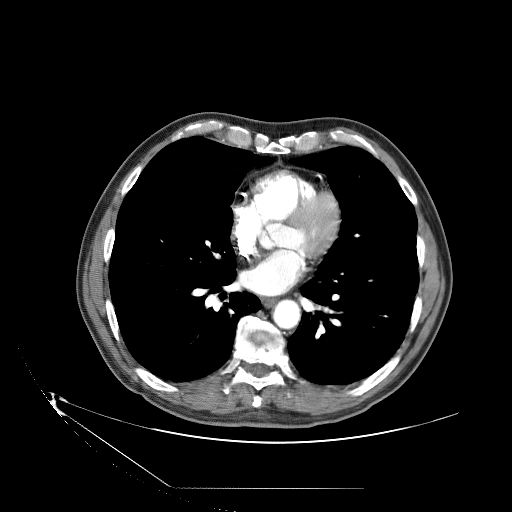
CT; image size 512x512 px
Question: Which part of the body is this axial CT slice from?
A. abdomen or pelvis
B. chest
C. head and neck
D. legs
Answer: B. chest
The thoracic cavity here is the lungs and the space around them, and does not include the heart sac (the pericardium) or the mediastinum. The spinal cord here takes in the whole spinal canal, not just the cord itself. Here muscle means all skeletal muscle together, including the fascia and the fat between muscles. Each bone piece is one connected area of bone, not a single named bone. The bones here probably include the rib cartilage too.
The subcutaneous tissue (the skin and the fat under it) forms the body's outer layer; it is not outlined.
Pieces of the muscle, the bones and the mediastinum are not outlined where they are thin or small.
Outlined structures:
spinal cord: [[256,363],[260,363],[261,364],[264,364],[268,366],[269,367],[269,371],[268,373],[260,377],[258,377],[257,376],[255,376],[253,375],[248,370],[248,367],[249,365],[251,364],[255,364]]
muscle 1: [[134,166],[120,189],[123,199],[115,225],[107,229],[103,240],[110,293],[104,307],[113,337],[118,343],[123,341],[140,365],[133,368],[134,372],[153,389],[178,392],[179,388],[169,382],[189,382],[218,370],[220,375],[233,373],[221,386],[226,395],[241,383],[256,391],[270,385],[285,386],[284,376],[301,384],[306,381],[323,386],[358,384],[345,392],[353,397],[377,385],[399,363],[402,355],[397,351],[406,333],[414,331],[423,307],[417,292],[426,244],[417,233],[415,191],[435,239],[445,279],[441,305],[426,340],[384,388],[357,405],[330,413],[312,415],[254,408],[214,414],[172,403],[145,389],[116,364],[86,310],[82,293],[84,264],[97,227],[116,188]]; inner edge: [[256,394],[257,394],[258,395],[259,395],[260,396],[260,397],[261,398],[261,404],[260,405],[260,406],[259,407],[253,407],[252,406],[252,405],[251,404],[251,403],[253,401],[253,397],[254,396],[254,395],[255,395]]
muscle 2: [[340,126],[352,129],[375,141],[393,158],[409,182],[400,174],[394,175],[379,159],[379,152],[375,147],[360,134],[347,132],[337,128],[330,130],[327,133],[327,137],[332,142],[341,144],[332,146],[330,146],[328,143],[323,144],[324,139],[319,131]]
muscle 3: [[184,125],[186,125],[184,126],[183,128],[177,130],[170,136],[170,138],[169,139],[171,142],[158,151],[157,153],[156,153],[155,155],[151,158],[145,166],[145,165],[142,163],[137,164],[140,161],[141,158],[154,145],[162,141],[174,131]]
thoracic cavity 1: [[199,135],[273,160],[254,166],[246,173],[230,205],[229,240],[236,259],[236,279],[244,290],[257,297],[261,306],[238,320],[231,355],[224,366],[200,378],[174,382],[145,368],[128,349],[111,299],[108,273],[116,221],[125,196],[158,152],[180,139]]
thoracic cavity 2: [[338,145],[364,149],[378,159],[394,176],[413,206],[417,222],[415,249],[418,287],[406,332],[395,353],[359,383],[323,385],[299,375],[290,363],[286,346],[302,322],[304,301],[301,287],[314,277],[337,239],[341,210],[324,174],[291,163],[290,160]]
mediastinum 1: [[300,286],[301,286],[299,291],[303,301],[303,313],[301,318],[301,322],[286,341],[282,332],[273,323],[266,319],[262,319],[255,315],[249,314],[256,312],[262,306],[260,300],[256,295],[262,297],[280,296],[290,292],[293,292],[299,288]]
mediastinum 2: [[250,149],[253,149],[257,153],[265,153],[273,155],[309,153],[291,158],[289,160],[290,163],[278,160],[270,165],[252,171],[244,178],[247,173],[254,167],[260,168],[266,166],[272,163],[274,160],[270,156],[255,155]]
pericardium: [[278,161],[321,174],[328,184],[338,203],[340,210],[340,223],[336,239],[310,279],[293,291],[280,295],[262,296],[250,291],[238,281],[237,259],[230,240],[233,224],[233,211],[231,206],[236,199],[236,191],[249,174],[256,170],[270,166]]
bones 1: [[246,315],[266,320],[281,332],[286,342],[285,351],[289,363],[305,382],[301,383],[284,375],[285,385],[270,384],[256,390],[252,385],[241,382],[235,384],[227,394],[222,391],[223,383],[227,382],[234,373],[220,374],[219,370],[231,358],[237,324]] with a hole at [[256,363],[260,363],[261,364],[264,364],[268,366],[269,367],[269,371],[268,373],[260,377],[258,377],[257,376],[255,376],[253,375],[248,370],[248,367],[249,365],[251,364],[255,364]]
bones 2: [[208,120],[216,120],[225,125],[238,125],[252,133],[262,133],[272,141],[313,130],[318,131],[323,139],[322,144],[315,150],[286,154],[257,152],[253,148],[237,147],[225,143],[226,139],[217,132],[192,135],[172,142],[171,136],[177,131],[189,124]]
bones 3: [[397,352],[400,353],[401,355],[401,357],[398,363],[382,380],[370,388],[367,391],[364,392],[360,395],[353,396],[352,395],[348,395],[346,394],[346,392],[348,390],[357,386],[362,381],[362,380],[365,379],[371,374],[378,370],[382,366],[383,366]]
bones 4: [[337,129],[340,129],[347,133],[357,134],[362,136],[374,147],[378,152],[378,156],[379,157],[378,158],[375,157],[370,152],[364,148],[358,146],[349,145],[348,144],[342,144],[338,142],[334,142],[332,141],[328,137],[328,133],[330,131],[333,131]]
bones 5: [[137,366],[142,366],[145,369],[149,371],[155,376],[177,387],[178,388],[178,391],[174,391],[173,392],[167,392],[166,391],[162,391],[161,390],[158,390],[157,389],[153,388],[147,383],[146,383],[142,379],[141,379],[135,372],[134,368]]
bones 6: [[107,298],[110,298],[114,308],[114,311],[115,312],[115,315],[116,316],[116,319],[117,320],[117,323],[119,328],[119,333],[122,338],[122,340],[120,342],[118,342],[114,337],[113,333],[111,330],[109,322],[108,321],[107,312],[105,307],[105,300]]
bones 7: [[417,294],[418,294],[421,297],[421,299],[422,300],[422,307],[421,308],[421,312],[420,313],[419,318],[417,321],[417,323],[413,331],[411,333],[408,333],[407,332],[407,330],[410,323],[410,317],[411,316],[411,313],[413,309],[414,300]]
bones 8: [[111,227],[114,227],[114,241],[113,242],[113,246],[112,247],[112,250],[111,251],[111,255],[109,259],[109,263],[108,265],[107,265],[104,261],[104,256],[103,255],[103,245],[104,244],[104,240],[105,239],[105,236],[106,235],[106,233],[108,229]]
bones 9: [[139,164],[142,164],[144,165],[144,167],[143,169],[139,174],[134,184],[127,192],[127,193],[124,196],[124,197],[122,197],[121,196],[121,189],[123,186],[123,184],[125,182],[129,174],[134,169],[134,168],[137,165]]
bones 10: [[395,175],[400,175],[402,177],[403,177],[409,183],[409,184],[411,186],[411,187],[413,189],[415,193],[415,195],[417,199],[417,206],[415,207],[408,199],[408,198],[404,193],[403,190],[401,188],[400,185],[398,183],[395,177]]
bones 11: [[417,234],[419,234],[423,238],[424,240],[424,243],[425,244],[425,253],[424,254],[424,260],[423,261],[423,265],[421,268],[420,272],[419,272],[419,269],[418,268],[418,259],[417,258],[417,250],[416,249],[416,244],[417,243],[417,237],[416,236]]
torso: [[205,111],[264,121],[323,116],[357,120],[389,138],[424,182],[450,252],[453,284],[449,304],[415,371],[365,412],[337,423],[303,429],[197,424],[168,414],[126,389],[101,357],[82,319],[75,290],[78,254],[89,217],[113,174],[144,139],[180,117]]